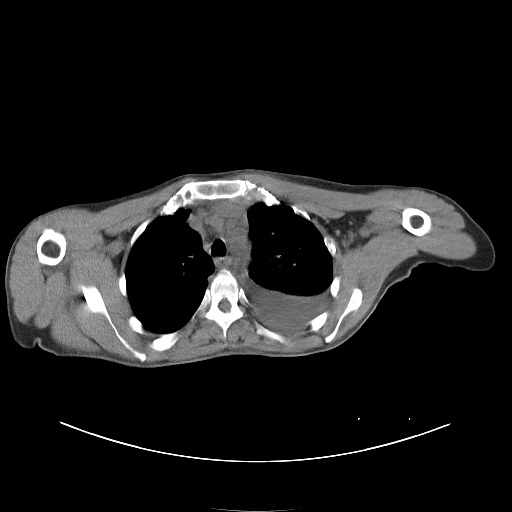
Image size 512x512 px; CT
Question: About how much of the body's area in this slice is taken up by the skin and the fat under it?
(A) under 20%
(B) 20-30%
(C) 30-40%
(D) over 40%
Answer: (A) under 20%
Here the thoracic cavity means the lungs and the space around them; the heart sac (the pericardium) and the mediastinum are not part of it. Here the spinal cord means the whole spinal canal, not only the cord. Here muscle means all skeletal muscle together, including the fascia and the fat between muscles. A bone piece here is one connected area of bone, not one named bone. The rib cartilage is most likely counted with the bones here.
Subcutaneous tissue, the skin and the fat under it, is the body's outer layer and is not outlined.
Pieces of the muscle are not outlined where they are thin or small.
{"thoracic_cavity":[[[258,202],[267,206],[284,204],[295,214],[310,221],[322,236],[332,258],[333,276],[328,286],[331,303],[308,320],[305,324],[307,326],[293,333],[280,333],[264,325],[258,314],[250,307],[250,301],[239,284],[240,280],[248,275],[252,261],[248,210]],[[180,208],[189,211],[185,221],[199,234],[202,249],[210,258],[213,265],[213,271],[207,277],[208,284],[204,290],[200,302],[189,320],[179,329],[158,334],[144,328],[142,322],[134,314],[128,298],[125,268],[132,246],[147,226],[157,217],[170,216]]],"spinal_cord":[[[222,299],[226,299],[228,301],[228,302],[230,304],[230,307],[229,308],[229,309],[227,311],[223,311],[222,310],[221,310],[219,308],[219,303],[220,302],[220,301]]],"left_arm":[[[363,184],[415,185],[430,188],[449,196],[456,201],[489,235],[495,248],[496,257],[494,265],[492,268],[487,271],[472,271],[460,267],[448,267],[436,263],[427,263],[423,260],[417,251],[410,249],[405,243],[392,236],[383,227],[365,193]]],"mediastinum":[[[235,198],[241,198],[246,202],[257,201],[247,210],[251,239],[251,261],[247,275],[244,275],[239,280],[239,283],[233,273],[223,267],[209,282],[208,277],[214,271],[213,262],[203,249],[200,234],[186,221],[190,211],[183,207],[191,206],[196,201]]],"right_arm":[[[98,201],[100,202],[104,210],[104,232],[93,256],[91,265],[83,277],[70,289],[48,327],[32,347],[29,349],[20,346],[13,339],[10,329],[6,311],[6,296],[4,289],[5,266],[12,242],[18,232],[34,216],[42,212],[71,203]]],"muscle":[{"outer":[[243,173],[351,193],[389,188],[433,194],[463,217],[476,242],[473,256],[451,259],[420,250],[388,274],[370,307],[340,338],[333,340],[344,318],[363,301],[355,286],[326,343],[299,351],[225,347],[148,362],[120,334],[93,284],[81,285],[88,309],[105,317],[138,360],[67,348],[16,318],[12,257],[34,221],[66,208],[99,211],[193,177],[210,179],[185,182],[130,237],[117,279],[133,312],[130,328],[157,334],[147,345],[157,352],[171,348],[179,330],[197,317],[215,322],[224,340],[248,307],[263,323],[254,322],[255,332],[281,344],[289,343],[282,334],[306,326],[318,331],[340,289],[341,277],[333,275],[335,241],[296,204],[282,203],[248,179],[221,178]],"holes":[[[44,228],[52,228],[54,230],[62,233],[64,235],[65,239],[66,240],[66,249],[65,250],[65,254],[62,259],[57,264],[55,265],[47,265],[46,264],[42,264],[38,260],[37,252],[36,251],[36,245],[37,244],[37,240],[42,233],[42,231]],[[406,207],[414,207],[415,208],[420,209],[427,214],[428,214],[428,215],[431,219],[431,228],[427,233],[421,236],[418,236],[417,235],[415,235],[411,233],[402,226],[401,224],[401,219],[402,218],[402,215],[401,214],[402,213],[402,211],[403,209]]]}],"bones":[[[211,179],[248,180],[258,186],[263,187],[279,200],[280,204],[267,205],[262,201],[258,201],[255,199],[246,201],[241,197],[204,199],[196,200],[191,205],[180,207],[174,213],[170,215],[159,215],[159,212],[163,205],[185,183],[191,181],[204,181]],{"outer":[[223,268],[229,270],[232,273],[237,280],[238,284],[243,289],[250,304],[245,308],[246,309],[245,315],[233,321],[229,325],[226,330],[226,336],[224,339],[222,329],[215,321],[198,316],[193,320],[190,320],[193,313],[201,302],[209,283],[214,276]],"hole":[[222,299],[226,299],[228,301],[228,302],[230,304],[230,307],[229,308],[229,309],[227,311],[223,311],[222,310],[221,310],[219,308],[219,303],[220,302],[220,301]]},[[44,228],[52,228],[54,230],[62,233],[64,235],[65,239],[66,240],[66,249],[65,250],[65,254],[62,259],[57,264],[55,265],[47,265],[46,264],[42,264],[38,260],[37,252],[36,251],[36,245],[37,244],[37,240],[42,233],[42,231]],[[82,285],[85,286],[93,285],[98,289],[108,314],[113,324],[116,327],[119,334],[133,348],[138,351],[145,353],[146,359],[144,361],[140,361],[124,346],[117,337],[113,328],[103,314],[97,312],[93,313],[89,309],[86,300],[82,293],[83,290]],[[406,207],[414,207],[415,208],[420,209],[427,214],[428,214],[428,215],[431,219],[431,228],[427,233],[421,236],[418,236],[417,235],[415,235],[411,233],[402,226],[401,224],[401,219],[402,218],[402,215],[401,214],[402,213],[402,211],[403,209]],[[355,287],[359,288],[362,291],[362,301],[361,302],[361,304],[356,310],[354,311],[351,311],[343,318],[334,338],[332,341],[327,343],[324,340],[324,338],[333,330],[340,315],[348,303],[348,301],[352,293],[352,290],[353,288]],[[177,330],[178,330],[178,339],[176,341],[176,342],[171,347],[170,347],[168,349],[166,349],[162,351],[157,351],[149,347],[148,345],[149,343],[153,339],[158,337],[159,335],[161,334],[167,334],[168,333],[171,333]],[[255,322],[257,322],[261,324],[263,326],[266,327],[268,329],[272,331],[277,332],[283,335],[286,338],[287,338],[288,340],[288,343],[281,343],[274,339],[271,339],[266,336],[264,336],[263,335],[260,335],[258,334],[256,332],[256,325],[255,324]],[[324,311],[328,311],[329,313],[328,315],[328,317],[325,323],[318,330],[316,331],[310,331],[309,330],[309,326],[307,324],[306,324],[307,322],[311,320],[313,318],[314,318],[316,316],[317,316],[319,314],[320,314]],[[132,315],[134,315],[141,322],[141,323],[142,324],[142,326],[143,327],[143,328],[145,331],[145,333],[144,334],[141,334],[140,333],[139,333],[138,332],[137,332],[136,331],[133,330],[129,325],[129,324],[128,323],[128,318],[130,316],[131,316]],[[148,218],[149,219],[150,219],[150,222],[146,226],[145,229],[142,232],[142,233],[135,240],[134,243],[131,246],[130,246],[130,240],[131,239],[131,237],[132,236],[132,235],[133,234],[135,229],[143,221],[144,221],[146,219],[147,219]],[[336,275],[338,275],[340,277],[340,282],[339,283],[339,289],[337,292],[337,294],[335,297],[333,297],[331,295],[331,294],[330,293],[330,289],[329,288],[329,286],[330,285],[330,284],[331,283],[331,282],[333,279],[333,277]],[[325,235],[328,235],[330,237],[331,237],[333,239],[333,240],[334,241],[334,243],[335,244],[335,255],[333,257],[332,257],[332,256],[331,255],[330,252],[328,250],[327,247],[325,245],[325,243],[324,242],[324,240],[323,239],[323,236],[324,236]],[[122,272],[124,272],[124,273],[125,274],[125,284],[126,285],[126,292],[127,293],[127,296],[124,296],[121,293],[121,292],[120,291],[120,289],[119,288],[119,284],[118,283],[118,279],[119,278],[119,277],[120,276],[120,275],[121,274],[121,273]],[[292,204],[294,204],[295,205],[296,205],[299,208],[300,208],[301,209],[304,210],[309,215],[309,216],[310,217],[310,220],[307,219],[305,217],[304,217],[302,215],[301,215],[300,214],[298,214],[297,213],[295,213],[290,206]]],"torso":[[[244,168],[362,184],[382,227],[417,252],[426,263],[420,263],[407,278],[390,286],[371,315],[349,339],[333,349],[302,356],[231,355],[153,368],[56,356],[37,345],[32,348],[49,327],[71,289],[92,265],[105,232],[105,210],[100,201],[186,173]]]}